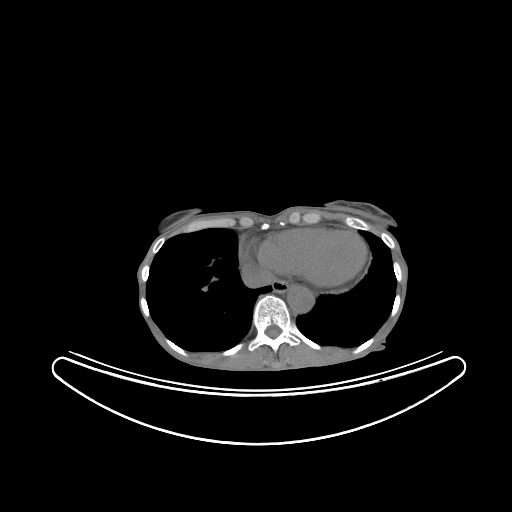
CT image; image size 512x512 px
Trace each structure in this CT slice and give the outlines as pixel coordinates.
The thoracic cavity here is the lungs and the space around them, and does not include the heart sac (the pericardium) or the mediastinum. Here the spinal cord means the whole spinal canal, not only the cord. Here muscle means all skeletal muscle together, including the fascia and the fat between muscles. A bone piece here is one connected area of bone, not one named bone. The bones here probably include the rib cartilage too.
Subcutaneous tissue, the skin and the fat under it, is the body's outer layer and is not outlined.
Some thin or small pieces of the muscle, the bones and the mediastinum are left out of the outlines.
Outlined structures:
torso: [[340,198],[373,203],[393,216],[399,225],[391,231],[407,262],[407,293],[383,350],[327,367],[224,373],[179,361],[157,343],[138,309],[136,270],[155,236],[156,225],[164,216],[191,207],[201,207],[207,212],[252,210],[273,214],[289,206],[317,206]]
thoracic cavity 1: [[234,227],[245,228],[237,240],[238,264],[236,267],[243,285],[252,290],[268,286],[271,289],[258,294],[252,309],[251,325],[253,327],[242,341],[221,351],[186,350],[168,338],[151,316],[146,298],[146,283],[150,266],[166,240],[174,235],[208,228]]
thoracic cavity 2: [[359,230],[369,231],[378,236],[390,250],[392,269],[396,280],[391,309],[388,317],[375,333],[360,344],[353,347],[321,345],[307,337],[299,329],[294,320],[297,316],[310,312],[320,296],[346,293],[356,286],[368,273],[373,255],[370,245],[360,234]]
mediastinum: [[253,226],[259,226],[260,229],[246,234],[240,248],[249,267],[263,275],[279,278],[320,295],[331,295],[320,295],[310,311],[294,319],[282,298],[267,293],[257,299],[259,294],[267,293],[272,288],[269,285],[255,289],[247,287],[237,268],[240,234]]
spinal cord: [[272,325],[275,325],[276,326],[277,326],[279,328],[280,328],[280,329],[281,330],[281,332],[276,337],[275,337],[274,338],[272,338],[271,337],[270,337],[269,336],[268,336],[265,333],[265,330],[267,328],[267,327],[268,327],[269,326],[271,326]]
pericardium: [[321,224],[336,224],[352,229],[361,235],[369,246],[371,253],[371,261],[367,271],[363,277],[347,291],[335,294],[320,294],[307,287],[281,279],[279,277],[263,274],[249,266],[243,257],[241,248],[243,240],[246,235],[260,230],[265,231],[277,227]]
bones 1: [[267,294],[276,296],[285,302],[291,319],[295,322],[298,329],[307,338],[320,345],[321,349],[314,349],[302,341],[297,345],[283,342],[279,345],[276,352],[266,344],[262,344],[252,351],[248,349],[247,344],[256,332],[252,325],[255,303]], around a hole outlined by [[272,325],[275,325],[276,326],[277,326],[279,328],[280,328],[280,329],[281,330],[281,332],[276,337],[275,337],[274,338],[272,338],[271,337],[270,337],[269,336],[268,336],[265,333],[265,330],[267,328],[267,327],[268,327],[269,326],[271,326]]
bones 2: [[245,216],[251,218],[254,222],[253,225],[249,227],[242,227],[237,223],[233,227],[230,227],[229,228],[226,228],[225,227],[208,227],[191,232],[182,232],[182,229],[188,223],[192,221],[217,219],[224,217],[233,218],[237,221],[240,218]]
bones 3: [[293,212],[298,212],[301,216],[302,216],[306,213],[317,213],[321,217],[321,219],[319,222],[317,223],[314,223],[313,224],[307,224],[303,222],[302,220],[301,220],[298,224],[292,224],[289,222],[289,216],[291,214],[291,213]]
bones 4: [[347,216],[353,216],[354,217],[357,217],[358,218],[360,218],[362,219],[364,221],[365,221],[370,226],[370,231],[369,230],[363,230],[362,229],[355,229],[354,228],[351,228],[350,227],[348,227],[346,226],[343,223],[343,220],[344,218]]
bones 5: [[141,296],[144,296],[146,299],[146,301],[147,302],[147,305],[148,306],[148,309],[149,310],[149,313],[150,314],[150,315],[148,317],[145,317],[143,315],[143,314],[142,313],[142,311],[140,308],[140,305],[139,304],[139,297],[140,297]]
bones 6: [[382,232],[385,232],[386,233],[387,233],[392,238],[392,239],[394,241],[394,242],[395,243],[395,247],[394,248],[393,248],[392,249],[390,249],[390,248],[381,239],[381,238],[380,237],[380,234]]
bones 7: [[166,337],[168,339],[169,339],[172,342],[173,342],[176,345],[177,345],[179,347],[180,347],[181,348],[182,348],[184,350],[185,350],[187,353],[187,355],[186,356],[184,356],[183,355],[178,353],[173,349],[172,349],[165,341],[165,338]]
bones 8: [[372,337],[373,337],[374,338],[374,339],[373,340],[372,343],[368,347],[367,347],[362,351],[361,351],[358,353],[356,353],[355,354],[354,354],[352,352],[352,351],[355,348],[355,347],[360,345],[362,343],[365,342],[367,340],[368,340]]
bones 9: [[240,342],[242,342],[243,343],[243,346],[238,351],[237,351],[234,354],[233,354],[232,355],[222,355],[221,354],[221,352],[222,351],[223,351],[224,350],[227,350],[228,349],[229,349],[230,348],[233,347],[235,345],[236,345],[238,343],[239,343]]
bones 10: [[161,236],[162,236],[163,237],[164,237],[165,238],[165,241],[163,243],[163,244],[161,246],[161,247],[158,250],[158,251],[155,254],[154,254],[152,252],[152,251],[151,250],[151,248],[152,247],[152,245],[154,243],[154,242],[159,237],[160,237]]
bones 11: [[396,294],[398,294],[400,297],[400,303],[399,304],[399,308],[398,309],[397,312],[395,314],[395,315],[394,316],[391,317],[390,316],[390,313],[391,312],[391,310],[392,309],[392,306],[393,305],[393,302],[394,301],[394,299],[395,298],[395,295]]
bones 12: [[394,261],[396,261],[399,264],[399,266],[400,267],[400,269],[401,270],[401,280],[400,281],[400,282],[397,282],[397,280],[396,279],[396,277],[395,276],[395,274],[394,273],[394,270],[393,269],[393,262]]
muscle 1: [[397,313],[380,344],[358,356],[318,365],[286,366],[273,361],[257,369],[211,367],[185,360],[163,345],[146,320],[150,316],[165,336],[167,345],[184,357],[188,355],[187,351],[220,352],[222,356],[232,356],[244,346],[243,341],[253,328],[255,332],[246,344],[250,352],[266,345],[276,353],[283,343],[297,346],[302,342],[314,350],[321,350],[322,346],[354,347],[351,352],[355,355],[368,348],[389,316],[392,318]]
muscle 2: [[293,209],[317,209],[322,211],[343,212],[351,214],[353,215],[347,215],[345,216],[342,220],[342,223],[337,223],[335,221],[321,221],[322,217],[317,212],[306,212],[301,215],[298,211],[293,211],[288,216],[288,222],[289,223],[287,223],[283,220],[280,220],[278,222],[279,226],[272,226],[271,227],[271,225],[266,221],[262,222],[260,225],[254,225],[255,222],[254,220],[251,217],[246,215],[240,217],[237,220],[233,217],[224,216],[217,218],[192,220],[188,222],[181,229],[181,232],[174,234],[167,239],[162,235],[164,233],[169,231],[178,223],[184,221],[188,221],[198,217],[206,217],[214,215],[228,215],[235,213],[249,213],[261,217],[274,218],[287,211]]
muscle 3: [[396,246],[398,253],[402,260],[404,266],[404,289],[403,290],[403,297],[402,298],[400,307],[401,297],[398,293],[396,293],[396,286],[397,283],[400,283],[402,280],[402,270],[400,264],[396,260],[393,261],[392,255],[391,254],[391,250],[394,249]]
muscle 4: [[361,218],[363,218],[365,220],[367,220],[370,222],[372,222],[373,223],[378,225],[387,232],[386,232],[385,231],[382,231],[379,234],[379,236],[378,235],[375,234],[373,232],[372,232],[371,231],[371,226],[365,220],[364,220],[362,218]]
muscle 5: [[150,251],[151,251],[151,252],[154,255],[154,256],[152,259],[152,261],[151,262],[150,265],[149,265],[148,264],[144,264],[143,265],[143,264],[144,263],[144,262],[145,261],[145,260],[146,259],[146,258],[147,257],[148,254],[150,252]]